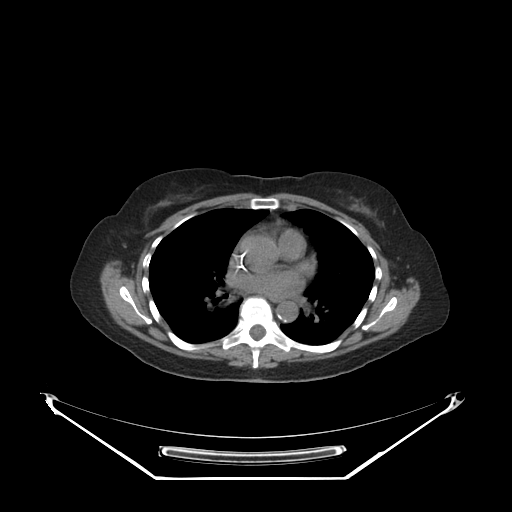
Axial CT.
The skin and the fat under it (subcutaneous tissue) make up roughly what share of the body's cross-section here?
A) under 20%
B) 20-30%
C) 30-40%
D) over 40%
C) 30-40%
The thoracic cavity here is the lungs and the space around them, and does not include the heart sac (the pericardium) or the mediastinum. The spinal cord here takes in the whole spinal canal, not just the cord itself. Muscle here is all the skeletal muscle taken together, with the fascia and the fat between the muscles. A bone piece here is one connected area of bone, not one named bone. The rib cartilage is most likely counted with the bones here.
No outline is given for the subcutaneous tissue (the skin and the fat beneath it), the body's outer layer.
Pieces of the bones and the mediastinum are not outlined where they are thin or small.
{"thoracic_cavity":[[[226,207],[249,208],[254,210],[267,209],[268,212],[243,232],[228,260],[227,277],[229,278],[229,287],[242,300],[238,308],[236,324],[228,333],[217,339],[200,343],[189,342],[171,330],[152,297],[148,277],[150,262],[154,250],[171,231],[196,215]],[[298,208],[313,209],[338,221],[359,239],[373,260],[374,279],[363,306],[352,323],[336,339],[322,344],[297,341],[288,336],[280,327],[281,324],[289,324],[297,319],[300,313],[300,298],[318,270],[317,253],[309,236],[302,227],[282,216],[284,213]]],"spinal_cord":[[[255,325],[260,325],[261,326],[262,326],[263,327],[263,328],[265,331],[265,333],[263,335],[263,336],[262,336],[259,339],[255,339],[254,338],[253,338],[251,336],[251,335],[250,334],[250,330],[251,329],[251,328],[253,326],[254,326]]],"bones":[{"outer":[[250,296],[268,302],[273,318],[291,339],[322,345],[340,338],[340,344],[317,353],[294,347],[285,351],[268,343],[259,351],[257,368],[252,367],[246,343],[227,349],[220,343],[198,350],[179,348],[169,330],[189,343],[217,340],[235,327],[240,305]],"hole":[[255,325],[260,325],[261,326],[262,326],[263,327],[263,328],[265,331],[265,333],[263,335],[263,336],[262,336],[259,339],[255,339],[254,338],[253,338],[251,336],[251,335],[250,334],[250,330],[251,329],[251,328],[253,326],[254,326]]},[[121,286],[125,286],[126,287],[137,309],[142,314],[151,319],[152,318],[152,315],[149,308],[148,302],[152,298],[162,318],[160,322],[158,323],[153,319],[151,323],[147,324],[136,313],[133,307],[127,301],[124,300],[121,297],[119,293],[119,289]],[[394,296],[397,299],[395,307],[392,310],[385,312],[373,325],[366,330],[363,330],[360,325],[356,328],[353,327],[352,324],[354,320],[364,306],[367,308],[367,312],[362,321],[362,324],[363,325],[367,324],[374,320],[378,316],[383,307]],[[254,197],[274,197],[275,198],[277,198],[280,202],[280,207],[279,207],[278,208],[276,208],[275,209],[268,209],[267,208],[258,208],[257,209],[254,209],[253,208],[250,208],[249,207],[248,207],[248,202],[251,198],[253,198]],[[191,213],[195,213],[195,215],[194,216],[193,216],[192,217],[191,217],[190,218],[187,219],[185,221],[184,221],[182,223],[181,223],[177,227],[176,227],[174,229],[171,230],[171,228],[175,223],[176,223],[183,217],[184,217],[185,216],[186,216]],[[338,218],[340,218],[341,219],[344,220],[347,223],[350,224],[358,232],[358,233],[359,234],[359,236],[358,237],[354,233],[353,233],[353,232],[352,231],[351,231],[346,226],[345,226],[342,223],[341,223],[338,220],[337,220],[337,219]],[[149,252],[150,252],[152,254],[151,255],[151,258],[150,259],[150,261],[149,262],[149,265],[148,266],[148,268],[144,268],[143,267],[143,266],[142,265],[142,263],[143,262],[143,260],[144,259],[144,257],[146,255],[146,254],[147,253],[148,253]],[[159,235],[162,235],[162,236],[163,237],[161,239],[161,240],[158,243],[158,244],[156,246],[156,247],[154,249],[152,249],[151,248],[151,244],[153,242],[153,241]],[[368,245],[369,245],[374,250],[374,251],[375,252],[375,254],[376,255],[376,260],[374,260],[373,259],[373,258],[372,257],[372,256],[371,255],[371,254],[369,252],[369,251],[368,250],[368,249],[366,247]]],"pericardium":[[[277,220],[286,222],[292,226],[301,229],[307,236],[309,243],[316,254],[317,269],[315,275],[299,295],[291,298],[255,295],[249,293],[245,290],[238,288],[233,283],[229,272],[230,257],[241,236],[245,232],[259,224],[274,222]]],"torso":[[[192,167],[262,177],[331,170],[381,184],[393,194],[411,226],[424,235],[434,251],[450,298],[446,322],[438,330],[363,367],[313,381],[200,380],[170,374],[142,362],[81,315],[70,295],[70,274],[91,229],[103,217],[116,212],[136,186],[157,174]]],"muscle":[[[241,192],[262,196],[251,197],[247,207],[226,206],[198,214],[191,212],[175,222],[166,235],[159,234],[152,241],[150,248],[153,252],[147,252],[141,263],[144,269],[148,269],[148,275],[143,275],[140,281],[142,291],[151,295],[147,302],[151,318],[138,309],[125,285],[119,287],[118,293],[147,325],[153,320],[158,324],[163,319],[170,329],[166,332],[168,338],[179,349],[198,351],[220,344],[223,350],[227,350],[246,344],[251,352],[251,367],[217,364],[212,360],[180,356],[139,338],[117,324],[105,305],[101,291],[99,276],[104,264],[109,260],[119,259],[123,273],[129,275],[133,264],[139,259],[145,245],[144,236],[148,231],[157,228],[166,218],[194,203]],[[280,192],[313,198],[360,222],[385,253],[396,278],[394,285],[397,288],[402,286],[408,277],[411,276],[418,280],[420,297],[406,322],[397,331],[337,356],[258,368],[260,351],[268,344],[285,352],[294,348],[317,354],[328,353],[341,344],[342,339],[339,337],[349,326],[351,325],[354,329],[360,326],[363,331],[366,331],[385,313],[392,311],[398,302],[397,297],[392,296],[374,319],[363,324],[368,312],[364,304],[367,300],[369,302],[375,300],[378,286],[374,280],[379,281],[382,278],[381,267],[374,265],[374,261],[377,260],[375,250],[369,244],[364,245],[359,238],[359,232],[340,217],[335,219],[313,208],[281,207],[281,202],[277,197],[267,196]]],"mediastinum":[[[303,291],[303,294],[301,295],[299,298],[299,301],[298,302],[298,309],[299,310],[299,313],[296,319],[292,322],[289,323],[281,323],[279,325],[274,318],[271,305],[269,302],[268,301],[263,296],[261,296],[266,296],[267,297],[275,297],[281,299],[291,299],[299,296]],[[279,208],[295,209],[286,211],[281,215],[282,217],[285,218],[289,222],[294,225],[292,225],[286,221],[280,219],[277,219],[274,221],[267,221],[266,222],[259,223],[253,227],[251,227],[248,229],[251,226],[266,216],[268,214],[269,210],[275,210]],[[228,265],[228,272],[230,275],[230,277],[231,278],[232,283],[238,289],[240,290],[242,290],[243,291],[245,291],[249,294],[254,295],[250,295],[242,299],[239,295],[234,293],[234,292],[232,291],[230,287],[230,278],[228,277]]]}